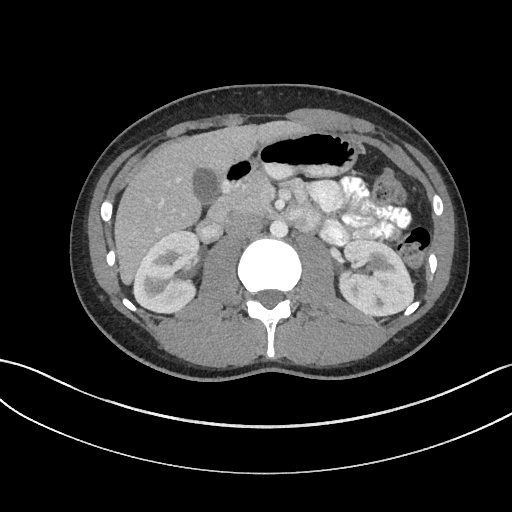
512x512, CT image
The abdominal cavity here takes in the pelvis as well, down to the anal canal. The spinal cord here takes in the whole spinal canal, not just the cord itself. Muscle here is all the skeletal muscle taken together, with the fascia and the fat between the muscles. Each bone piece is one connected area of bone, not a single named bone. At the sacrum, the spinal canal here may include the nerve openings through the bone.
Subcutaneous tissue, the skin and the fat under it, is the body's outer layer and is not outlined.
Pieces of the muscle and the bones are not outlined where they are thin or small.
spinal cord: (266, 307) (272, 307) (273, 306) (274, 306) (279, 301) (282, 300) (283, 299) (283, 293) (282, 293) (280, 291) (278, 291) (277, 290) (263, 290) (262, 291) (260, 291) (259, 292) (258, 292) (256, 294) (256, 299) (257, 300) (258, 300) (264, 306) (265, 306)
torso: (201, 382) (266, 372) (321, 380) (358, 377) (406, 359) (443, 327) (466, 286) (469, 227) (451, 173) (433, 146) (410, 123) (378, 103) (332, 87) (236, 84) (173, 100) (136, 120) (103, 150) (82, 185) (70, 225) (69, 264) (78, 299) (97, 328) (127, 355) (160, 372)
muscle: (217, 370) (234, 369) (237, 367) (242, 367) (259, 361) (284, 362) (293, 365) (305, 366) (306, 367) (314, 367) (315, 368) (344, 366) (350, 364) (352, 362) (365, 358) (373, 353) (400, 330) (419, 319) (433, 306) (436, 300) (445, 289) (449, 281) (453, 253) (454, 252) (455, 221) (454, 220) (453, 206) (449, 194) (447, 191) (447, 188) (436, 167) (425, 155) (411, 144) (402, 139) (400, 139) (392, 132) (385, 129) (380, 125) (377, 125) (366, 119) (356, 117) (347, 113) (343, 113) (330, 109) (302, 107) (294, 109) (283, 114) (268, 114) (267, 113) (264, 114) (263, 113) (262, 114) (261, 113) (228, 112) (221, 114) (214, 114) (207, 117) (201, 117) (196, 119) (189, 119) (181, 121) (166, 128) (159, 133) (151, 135) (145, 139) (143, 139) (138, 143) (122, 151) (110, 163) (102, 173) (96, 183) (95, 188) (92, 194) (89, 206) (89, 211) (87, 216) (87, 225) (86, 226) (87, 227) (89, 255) (95, 279) (97, 281) (99, 286) (110, 300) (110, 302) (112, 305) (119, 312) (143, 328) (162, 347) (163, 350) (169, 354) (190, 364) (199, 365) (204, 367) (216, 368) with a hole at (270, 358) (275, 355) (277, 324) (295, 310) (291, 291) (301, 276) (295, 242) (298, 234) (313, 234) (328, 248) (334, 261) (337, 296) (380, 324) (387, 324) (402, 314) (410, 315) (420, 304) (427, 289) (427, 265) (430, 280) (437, 266) (435, 255) (428, 253) (432, 212) (437, 216) (443, 212) (437, 194) (430, 202) (423, 186) (382, 152) (357, 140) (278, 116) (248, 118) (228, 127) (203, 129) (164, 147) (113, 204) (105, 200) (100, 210) (104, 222) (112, 220) (115, 249) (107, 253) (106, 262) (112, 266) (118, 258) (119, 285) (125, 295) (122, 303) (133, 312) (137, 306) (157, 315) (175, 314) (197, 295) (202, 267) (213, 244) (231, 234) (238, 238) (245, 249) (237, 266) (245, 289) (243, 308) (265, 327) (266, 355)
bones 1: (270, 358) (275, 355) (274, 334) (277, 324) (280, 321) (289, 318) (295, 310) (291, 291) (301, 276) (301, 263) (297, 252) (289, 244) (281, 240) (268, 238) (254, 241) (245, 248) (237, 266) (237, 275) (245, 289) (244, 310) (250, 318) (261, 322) (266, 329) (266, 355), around a hole outlined by (266, 307) (272, 307) (273, 306) (274, 306) (279, 301) (282, 300) (283, 299) (283, 293) (282, 293) (280, 291) (278, 291) (277, 290) (263, 290) (262, 291) (260, 291) (259, 292) (258, 292) (256, 294) (256, 299) (257, 300) (258, 300) (264, 306) (265, 306)
bones 2: (104, 222) (108, 222) (109, 221) (110, 221) (110, 220) (111, 219) (111, 216) (112, 215) (112, 211) (113, 210) (113, 204) (112, 203) (112, 202) (109, 200) (105, 200) (102, 203) (102, 204) (101, 205) (101, 209) (100, 210) (100, 214) (101, 215) (101, 218)
bones 3: (437, 216) (440, 216) (442, 214) (442, 213) (443, 212) (443, 204) (442, 203) (442, 201) (441, 200) (441, 199) (440, 198) (440, 197) (437, 194) (434, 194) (433, 195) (433, 196) (432, 197) (432, 200) (431, 201) (431, 204) (432, 205) (432, 210) (434, 212) (434, 213)
bones 4: (430, 280) (432, 279) (433, 277) (433, 275) (436, 270) (436, 267) (437, 266) (437, 260) (436, 259) (436, 257) (435, 255) (433, 253) (430, 253) (428, 256) (428, 258) (429, 259) (429, 262) (428, 264) (429, 265) (429, 268) (430, 269) (430, 272) (431, 273)
bones 5: (404, 316) (408, 316) (409, 315) (410, 315) (412, 313) (413, 313) (416, 310) (416, 309) (418, 307) (418, 306) (420, 304) (420, 301) (419, 300) (414, 300) (414, 301) (413, 302) (412, 302) (412, 303) (411, 304) (410, 304) (404, 310) (404, 311) (403, 312) (403, 315)
bones 6: (133, 312) (135, 312) (136, 311) (136, 310) (137, 309) (136, 308) (136, 307) (135, 306) (135, 305) (134, 305) (131, 302) (130, 302) (125, 297) (124, 297) (122, 299) (122, 303) (128, 309) (129, 309) (131, 311) (132, 311)
abdominal cavity: (380, 324) (396, 320) (425, 293) (433, 220) (423, 186) (368, 145) (287, 118) (248, 118) (164, 147) (115, 200) (119, 285) (150, 313) (173, 315) (197, 295) (203, 264) (217, 240) (231, 234) (244, 248) (269, 237) (298, 250) (295, 237) (306, 232) (333, 258) (337, 296)